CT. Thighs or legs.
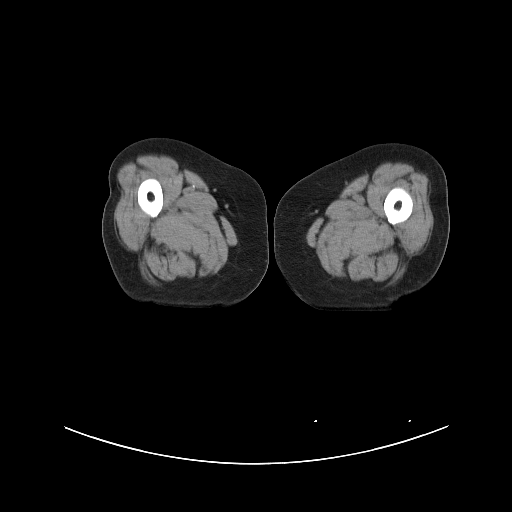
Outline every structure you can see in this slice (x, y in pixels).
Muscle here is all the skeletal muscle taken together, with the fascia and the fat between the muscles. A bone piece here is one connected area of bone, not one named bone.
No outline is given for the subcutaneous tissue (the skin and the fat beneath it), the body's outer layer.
{"right_leg":[[[154,136],[176,138],[201,148],[248,173],[257,181],[263,191],[267,207],[269,253],[267,269],[257,287],[232,307],[199,309],[142,303],[127,296],[116,281],[105,252],[101,231],[103,209],[109,195],[109,168],[114,157],[124,147],[134,141]]],"bones":[[[397,186],[403,188],[409,193],[412,199],[413,205],[412,206],[412,210],[411,211],[411,213],[407,219],[402,222],[400,222],[396,224],[391,224],[388,221],[385,215],[384,209],[383,208],[383,204],[384,203],[384,200],[387,193],[392,188],[396,187]],[[147,178],[155,178],[158,180],[160,183],[160,185],[162,189],[162,193],[163,194],[163,204],[162,205],[161,210],[155,217],[151,217],[148,214],[143,211],[138,204],[138,201],[137,200],[137,190],[138,189],[138,187],[140,183],[143,180]]],"muscle":[{"outer":[[143,154],[168,155],[181,166],[198,174],[207,184],[209,192],[233,227],[237,237],[236,247],[219,272],[209,279],[186,286],[151,286],[142,279],[135,256],[121,245],[113,219],[114,210],[120,197],[117,172],[129,158]],"hole":[[147,178],[155,178],[158,180],[160,183],[160,185],[162,189],[162,193],[163,194],[163,204],[162,205],[161,210],[155,217],[151,217],[148,214],[143,211],[138,204],[138,201],[137,200],[137,190],[138,189],[138,187],[140,183],[143,180]]},{"outer":[[386,161],[412,163],[421,172],[426,174],[428,178],[429,204],[434,220],[430,239],[425,246],[424,251],[421,254],[414,256],[409,261],[402,278],[394,285],[381,289],[361,286],[332,278],[317,262],[307,246],[306,233],[319,213],[338,197],[348,182]],"hole":[[397,186],[403,188],[409,193],[412,199],[413,205],[412,206],[412,210],[411,211],[411,213],[407,219],[402,222],[400,222],[396,224],[391,224],[388,221],[385,215],[384,209],[383,208],[383,204],[384,203],[384,200],[387,193],[392,188],[396,187]]}],"left_leg":[[[384,142],[400,142],[418,146],[435,157],[444,170],[447,180],[450,225],[447,246],[440,266],[427,285],[419,291],[402,298],[393,309],[388,311],[327,311],[313,307],[292,291],[277,266],[273,239],[273,219],[277,204],[294,183],[319,167],[360,148]]]}